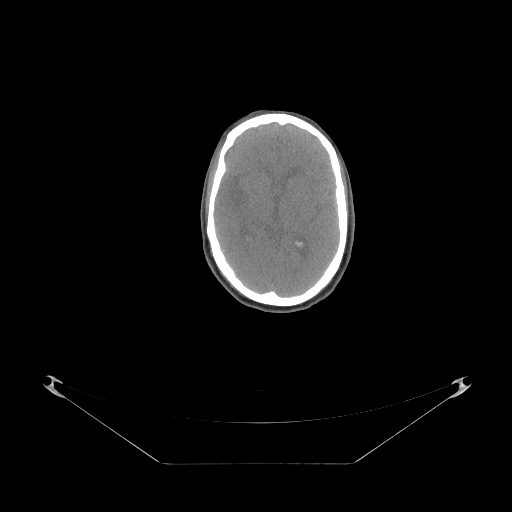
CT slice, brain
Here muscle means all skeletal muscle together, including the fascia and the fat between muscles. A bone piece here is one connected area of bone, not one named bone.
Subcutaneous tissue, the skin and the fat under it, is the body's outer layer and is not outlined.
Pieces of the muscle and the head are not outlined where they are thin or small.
The head is outlined by [[261,108],[297,111],[311,117],[320,124],[333,138],[343,156],[353,192],[354,242],[351,257],[342,278],[335,289],[323,300],[307,309],[288,313],[262,311],[246,306],[232,297],[218,282],[205,261],[199,230],[199,208],[203,180],[221,132],[240,116]]. The bones are outlined by [[275,112],[287,113],[309,122],[331,142],[336,151],[340,166],[347,211],[346,243],[337,271],[331,280],[313,297],[301,303],[286,306],[261,303],[240,293],[216,265],[206,233],[209,198],[213,178],[218,164],[219,153],[227,133],[233,127],[250,117]] with a hole at [[272,123],[280,126],[290,124],[315,137],[327,154],[334,183],[338,229],[335,251],[319,277],[302,292],[291,295],[280,295],[274,290],[260,292],[247,286],[242,281],[221,248],[214,216],[217,194],[227,170],[226,154],[228,150],[237,138],[246,131]]. The brain is outlined by [[272,123],[280,126],[290,124],[315,137],[327,154],[334,183],[338,229],[335,251],[319,277],[302,292],[291,295],[280,295],[274,290],[260,292],[247,286],[242,281],[221,248],[214,216],[217,194],[227,170],[226,154],[228,150],[237,138],[246,131]]. The muscle appears in 2 outlined pieces: piece 1: [[225,136],[223,143],[218,153],[217,164],[212,178],[212,183],[208,198],[208,209],[207,210],[207,216],[206,217],[205,225],[205,195],[207,189],[207,181],[209,176],[209,172],[211,169],[211,166],[213,163],[213,160],[215,157],[217,150]]; piece 2: [[338,155],[340,158],[340,160],[344,168],[344,173],[345,174],[346,183],[347,184],[347,188],[348,189],[348,206],[349,207],[348,228],[348,211],[347,210],[347,198],[345,193],[344,183],[342,179],[341,166],[340,165],[340,162],[339,161]].